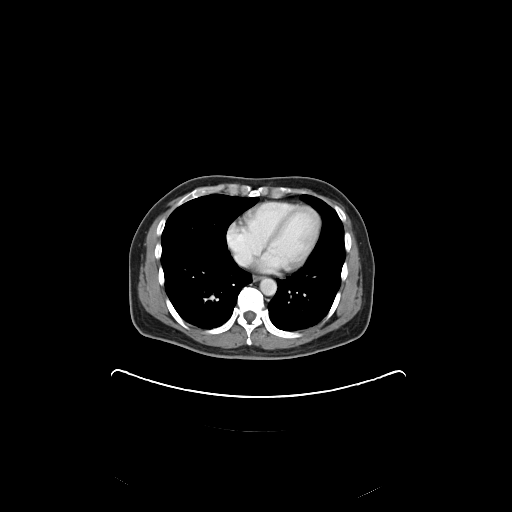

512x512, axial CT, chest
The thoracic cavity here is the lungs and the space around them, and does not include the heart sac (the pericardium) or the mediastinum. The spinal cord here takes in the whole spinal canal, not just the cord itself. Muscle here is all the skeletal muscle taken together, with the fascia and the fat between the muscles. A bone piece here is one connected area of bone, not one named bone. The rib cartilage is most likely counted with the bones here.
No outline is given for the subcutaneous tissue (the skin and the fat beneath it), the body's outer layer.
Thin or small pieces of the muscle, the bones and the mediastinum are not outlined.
The muscle appears in 2 outlined pieces: piece 1: [[183,194],[172,206],[169,215],[167,217],[163,216],[159,220],[155,229],[160,241],[155,244],[153,253],[154,257],[160,260],[157,280],[161,286],[164,286],[167,296],[164,300],[166,307],[174,320],[187,330],[190,328],[187,322],[204,329],[205,334],[215,335],[229,330],[236,323],[245,330],[245,343],[247,345],[223,348],[198,342],[154,317],[145,310],[139,300],[137,286],[142,248],[147,231],[164,207],[171,200]]; piece 2: [[317,193],[340,203],[354,224],[361,253],[361,307],[350,320],[338,328],[303,344],[289,348],[275,349],[264,349],[251,345],[251,333],[261,325],[272,335],[285,339],[295,339],[303,335],[298,330],[313,326],[320,321],[324,323],[333,315],[338,306],[341,297],[339,288],[341,282],[348,275],[348,263],[345,257],[346,253],[351,249],[352,237],[344,229],[343,223],[346,222],[347,218],[345,211],[337,204],[329,204]]. The pericardium is outlined by [[266,199],[271,199],[272,200],[300,200],[311,206],[319,214],[321,220],[321,229],[319,233],[318,239],[307,259],[303,265],[295,272],[284,278],[277,278],[272,276],[252,273],[248,271],[238,265],[228,249],[226,234],[230,224],[243,212],[256,203]]. The mediastinum appears in 2 outlined pieces: piece 1: [[250,273],[252,274],[256,274],[257,275],[261,275],[262,276],[266,276],[267,277],[272,277],[277,279],[276,280],[276,285],[277,286],[276,291],[271,299],[269,300],[266,306],[263,294],[256,287],[254,287],[251,285],[248,285],[252,281],[252,275]]; piece 2: [[289,194],[299,194],[299,198],[300,199],[272,199],[271,198],[266,198],[265,199],[262,199],[261,200],[258,201],[259,200],[259,198],[258,197],[259,197],[260,196],[269,196],[272,198],[281,198],[282,197],[283,197],[286,195],[288,195]]. The torso is outlined by [[214,174],[242,177],[314,177],[334,185],[350,200],[363,218],[375,262],[371,316],[366,330],[360,337],[344,345],[310,355],[288,359],[253,360],[200,354],[171,343],[146,337],[135,328],[129,310],[128,253],[139,223],[150,207],[178,184],[194,177]]. The bones appear in 10 outlined pieces: piece 1: [[245,286],[256,288],[262,294],[269,319],[277,328],[298,331],[302,335],[295,338],[280,337],[270,333],[261,324],[251,331],[251,344],[248,345],[246,343],[246,330],[236,322],[223,332],[205,333],[205,329],[218,327],[229,319],[237,303],[238,294]]; inner edge: [[248,311],[251,311],[252,312],[253,312],[255,314],[255,316],[254,317],[254,318],[251,321],[250,321],[249,322],[245,318],[245,317],[244,316],[244,314],[246,312],[247,312]]; piece 2: [[230,183],[239,186],[249,185],[253,188],[266,186],[269,189],[284,186],[294,190],[316,193],[323,199],[306,193],[289,193],[281,197],[272,197],[269,195],[231,195],[222,191],[193,198],[172,210],[173,206],[185,194],[195,188],[218,184],[227,185]]; piece 3: [[167,297],[171,302],[171,303],[172,304],[173,307],[175,309],[175,310],[178,313],[178,314],[185,321],[186,324],[188,326],[188,327],[189,328],[188,329],[183,327],[178,322],[177,322],[170,313],[170,312],[167,307],[166,302],[165,301],[165,300]]; piece 4: [[338,291],[340,291],[340,297],[339,298],[339,301],[337,304],[337,306],[336,307],[334,312],[332,314],[332,315],[327,320],[326,320],[324,322],[322,322],[322,320],[324,318],[324,317],[328,313],[328,312],[331,307],[331,305],[334,300],[334,298]]; piece 5: [[345,231],[347,231],[350,234],[350,236],[351,237],[351,246],[350,247],[350,249],[349,250],[349,251],[348,252],[346,252],[346,251],[345,250],[345,245],[344,244],[344,234],[345,233]]; piece 6: [[330,205],[337,205],[340,208],[341,208],[344,211],[344,212],[345,213],[345,214],[346,215],[346,218],[345,219],[345,222],[342,222],[342,221],[340,219],[340,218],[339,217],[339,216],[338,215],[338,214],[336,212],[336,211]]; piece 7: [[163,217],[165,217],[166,218],[166,220],[165,221],[165,224],[164,225],[164,227],[163,228],[163,230],[161,233],[161,235],[160,236],[158,236],[156,233],[156,229],[157,228],[157,226],[158,225],[158,223],[160,221],[160,220]]; piece 8: [[345,261],[346,261],[346,262],[347,263],[347,275],[346,276],[346,278],[343,281],[341,281],[341,270],[342,269],[342,266],[343,265],[343,263]]; piece 9: [[158,242],[160,242],[160,244],[161,245],[161,256],[160,257],[160,258],[159,259],[157,259],[155,257],[155,254],[154,253],[154,251],[155,250],[155,246],[156,245],[156,244]]; piece 10: [[159,266],[161,266],[161,267],[162,268],[162,270],[163,271],[163,276],[164,277],[164,284],[163,285],[161,285],[159,283],[159,281],[158,280],[158,272],[159,271]]. The thoracic cavity appears in 2 outlined pieces: piece 1: [[214,193],[258,198],[257,202],[229,224],[225,234],[227,249],[237,265],[249,272],[251,281],[238,292],[236,303],[226,321],[218,326],[202,328],[186,321],[176,310],[166,293],[164,271],[160,259],[162,256],[161,236],[167,218],[176,208],[193,199]]; piece 2: [[302,194],[311,195],[323,200],[335,211],[344,230],[343,244],[345,256],[340,270],[340,284],[327,313],[313,325],[297,330],[286,330],[277,327],[271,321],[267,305],[277,291],[277,280],[291,276],[304,265],[314,249],[322,229],[320,214],[300,198]]. The spinal cord is outlined by [[248,311],[251,311],[252,312],[253,312],[255,314],[255,316],[254,317],[254,318],[251,321],[250,321],[249,322],[245,318],[245,317],[244,316],[244,314],[246,312],[247,312]].